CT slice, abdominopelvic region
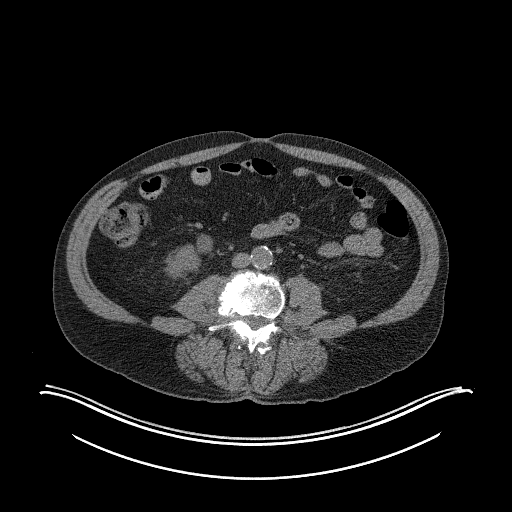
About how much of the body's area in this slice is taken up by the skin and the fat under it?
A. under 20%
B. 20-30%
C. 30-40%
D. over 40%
B. 20-30%
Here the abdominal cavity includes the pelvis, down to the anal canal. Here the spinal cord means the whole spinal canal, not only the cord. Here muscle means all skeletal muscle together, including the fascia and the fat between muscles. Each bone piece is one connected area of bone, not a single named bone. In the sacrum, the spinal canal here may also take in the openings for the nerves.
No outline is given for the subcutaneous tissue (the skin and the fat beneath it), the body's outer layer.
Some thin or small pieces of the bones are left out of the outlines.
Outlines:
bones: 247 269; 264 274; 274 273; 286 297; 285 306; 275 319; 275 323; 282 330; 271 335; 271 348; 264 354; 256 349; 250 353; 247 341; 240 339; 227 327; 214 331; 208 329; 211 325; 230 320; 229 317; 217 313; 218 295; 232 274, around a hole outlined by 248 316; 254 316; 255 317; 262 317; 265 320; 265 323; 263 325; 262 325; 261 326; 260 326; 258 328; 257 328; 256 329; 253 329; 246 322; 246 321; 245 320; 245 318; 246 317; 247 317
muscle: 252 140; 259 140; 264 142; 277 142; 336 154; 356 161; 372 169; 378 174; 382 174; 398 180; 404 184; 420 200; 425 207; 433 222; 437 233; 438 242; 439 243; 439 267; 435 282; 426 301; 413 315; 393 323; 378 325; 375 327; 356 329; 350 331; 342 336; 335 338; 332 342; 333 343; 329 347; 328 361; 326 367; 322 373; 308 382; 304 382; 303 383; 289 382; 286 383; 271 395; 262 395; 253 390; 246 390; 245 389; 229 393; 227 390; 225 390; 213 384; 208 380; 201 383; 192 380; 182 372; 177 366; 174 356; 174 347; 171 345; 171 337; 169 335; 153 328; 140 325; 138 323; 132 324; 131 323; 125 323; 121 321; 109 320; 90 311; 85 304; 77 296; 73 289; 68 276; 66 267; 66 248; 68 243; 69 235; 73 227; 74 221; 87 201; 100 188; 114 180; 123 178; 126 175; 128 175; 132 172; 139 171; 150 165; 160 162; 163 160; 166 160; 173 157; 177 157; 181 155; 211 147; 220 146; 235 142; 251 141 with a hole at 252 143; 361 171; 399 199; 419 264; 391 307; 359 323; 349 313; 320 319; 320 286; 288 277; 282 330; 260 354; 227 327; 208 329; 230 320; 217 313; 227 276; 194 284; 173 305; 181 315; 149 321; 96 286; 90 237; 128 185
spinal cord: 248 316; 254 316; 255 317; 262 317; 265 320; 265 323; 263 325; 262 325; 261 326; 260 326; 258 328; 257 328; 256 329; 253 329; 246 322; 246 321; 245 320; 245 318; 246 317; 247 317
torso: 218 130; 254 137; 293 132; 334 139; 382 160; 419 189; 442 225; 449 253; 442 324; 422 357; 336 399; 267 405; 249 399; 214 403; 170 396; 105 369; 73 348; 59 327; 52 301; 55 249; 71 210; 99 179; 134 156; 178 138
abdominal cavity: 252 143; 361 171; 399 199; 416 230; 419 264; 391 307; 359 323; 349 313; 320 319; 326 312; 318 284; 299 274; 281 285; 274 272; 247 268; 229 278; 208 275; 173 305; 181 315; 146 321; 96 286; 86 258; 90 237; 128 185